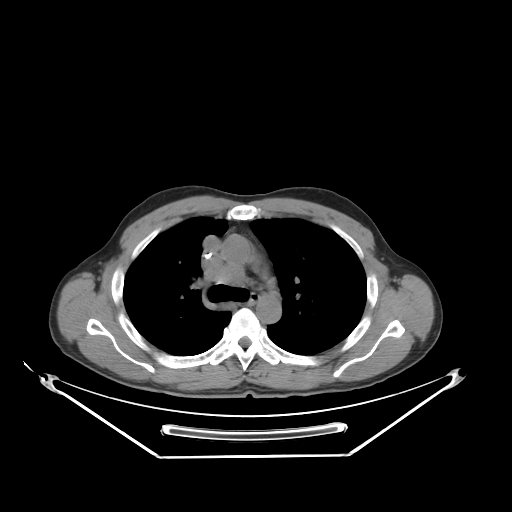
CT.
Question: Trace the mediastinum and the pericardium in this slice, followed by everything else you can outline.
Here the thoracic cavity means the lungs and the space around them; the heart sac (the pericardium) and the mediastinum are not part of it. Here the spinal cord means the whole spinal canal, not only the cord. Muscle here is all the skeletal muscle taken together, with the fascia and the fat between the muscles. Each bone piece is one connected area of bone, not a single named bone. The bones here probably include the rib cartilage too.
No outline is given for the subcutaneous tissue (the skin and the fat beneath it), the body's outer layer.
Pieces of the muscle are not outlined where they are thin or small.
Answer: Outlined structures:
mediastinum: [[227,220],[253,220],[249,226],[265,248],[273,264],[282,297],[282,314],[278,321],[269,324],[266,328],[261,324],[255,313],[248,307],[241,307],[232,314],[230,311],[210,310],[202,303],[203,272],[200,265],[202,242],[208,234],[222,235],[228,228]] with a hole at [[231,232],[237,232],[244,237],[247,238],[247,239],[252,244],[252,246],[254,250],[253,252],[253,256],[252,257],[252,259],[247,264],[245,264],[238,268],[227,265],[224,262],[224,260],[220,252],[220,249],[221,248],[223,240]]
pericardium: [[231,232],[237,232],[244,237],[247,238],[247,239],[252,244],[252,246],[254,250],[253,252],[253,256],[252,257],[252,259],[247,264],[245,264],[238,268],[227,265],[224,262],[224,260],[220,252],[220,249],[221,248],[223,240]]
torso: [[188,184],[237,194],[308,185],[349,198],[370,216],[391,248],[422,268],[433,282],[443,309],[436,343],[419,362],[383,382],[346,392],[287,398],[177,397],[119,384],[72,360],[53,342],[48,328],[49,305],[58,282],[108,240],[130,209],[157,191]]
spinal cord: [[243,337],[247,337],[250,340],[250,344],[247,347],[246,347],[245,348],[244,348],[242,346],[241,346],[239,344],[239,343],[238,342],[239,341],[239,340],[241,338],[242,338]]
thoracic cavity 1: [[271,217],[299,218],[329,228],[343,239],[354,251],[365,272],[366,301],[361,318],[353,329],[341,341],[316,354],[298,354],[288,351],[276,344],[268,335],[267,327],[278,322],[282,317],[283,297],[274,264],[266,248],[254,233],[250,224],[256,219]]
thoracic cavity 2: [[197,216],[212,216],[226,220],[227,228],[222,234],[208,233],[203,237],[199,265],[202,272],[202,305],[210,311],[230,312],[231,316],[222,330],[221,337],[206,350],[187,355],[170,354],[149,342],[129,318],[123,300],[125,274],[131,263],[161,232]]
muscle 1: [[196,195],[212,195],[240,202],[271,197],[296,198],[333,208],[358,221],[371,231],[375,243],[375,253],[382,263],[398,274],[409,273],[418,276],[430,288],[434,302],[434,319],[427,337],[400,362],[384,372],[363,380],[336,381],[308,389],[277,389],[243,381],[227,388],[181,390],[124,378],[89,361],[67,342],[58,328],[56,312],[63,286],[78,273],[84,271],[97,273],[115,255],[124,230],[134,221],[165,204]]; inner edges: [[244,203],[272,217],[299,218],[326,228],[334,224],[357,242],[365,274],[375,274],[378,288],[374,307],[366,303],[362,313],[371,317],[367,330],[345,351],[340,351],[340,341],[317,353],[322,362],[316,366],[281,361],[273,365],[257,354],[245,371],[234,354],[216,365],[160,364],[118,321],[120,311],[128,314],[111,294],[115,269],[119,266],[125,273],[136,245],[156,228],[164,231],[197,216],[225,219],[227,210]], then [[394,319],[397,319],[405,329],[404,332],[400,337],[395,337],[394,336],[384,337],[380,341],[372,354],[367,358],[350,364],[337,377],[334,377],[332,375],[335,370],[348,360],[356,357],[360,357],[366,354],[373,346],[387,325]], then [[90,318],[97,319],[110,332],[114,337],[117,345],[125,353],[138,361],[150,364],[155,369],[155,371],[153,373],[150,372],[143,366],[136,364],[124,357],[116,350],[111,339],[108,336],[102,334],[92,335],[88,333],[86,329],[86,325],[87,321]]
muscle 2: [[148,342],[149,343],[150,343],[152,345],[153,345],[156,348],[157,348],[158,349],[159,349],[160,350],[161,350],[162,351],[161,351],[160,352],[159,352],[158,351],[152,351],[152,349],[151,348],[151,347],[149,345],[149,344],[148,343]]
bones 1: [[244,307],[254,313],[268,337],[282,349],[298,355],[320,356],[322,362],[316,366],[281,361],[273,365],[256,354],[244,371],[233,354],[216,365],[206,363],[170,368],[133,342],[117,318],[122,311],[152,352],[187,356],[202,353],[217,343],[232,315]] with a hole at [[243,337],[247,337],[250,340],[250,344],[247,347],[246,347],[245,348],[244,348],[242,346],[241,346],[239,344],[239,343],[238,342],[239,341],[239,340],[241,338],[242,338]]
bones 2: [[394,319],[397,319],[405,329],[404,332],[400,337],[395,337],[394,336],[384,337],[380,341],[372,354],[367,358],[350,364],[337,377],[334,377],[332,375],[335,370],[348,360],[356,357],[360,357],[366,354],[373,346],[387,325]]
bones 3: [[90,318],[97,319],[110,332],[114,337],[117,345],[125,353],[138,361],[150,364],[155,369],[155,371],[153,373],[150,372],[143,366],[136,364],[124,357],[116,350],[111,339],[108,336],[102,334],[92,335],[88,333],[86,329],[86,325],[87,321]]
bones 4: [[244,203],[246,204],[249,204],[250,205],[253,205],[256,207],[259,207],[267,213],[270,214],[271,216],[270,217],[261,217],[260,218],[257,218],[256,217],[253,219],[226,219],[225,217],[225,214],[227,210],[236,205],[239,205],[240,204],[243,204]]
bones 5: [[368,314],[369,314],[371,317],[371,321],[370,322],[370,324],[367,330],[364,333],[364,334],[352,346],[351,346],[345,351],[341,352],[340,351],[340,348],[342,345],[342,341],[354,329],[354,328],[358,324],[362,317],[364,315],[367,315]]
bones 6: [[119,266],[124,270],[124,272],[125,273],[124,274],[124,279],[123,280],[123,293],[122,294],[122,300],[123,301],[123,303],[120,303],[118,305],[116,305],[114,303],[114,301],[111,294],[111,280],[112,279],[112,276],[115,269]]
bones 7: [[368,272],[373,272],[375,274],[376,276],[376,279],[377,280],[377,287],[378,288],[378,293],[377,294],[377,300],[373,308],[370,308],[370,306],[367,303],[366,303],[367,301],[367,278],[366,277],[366,275]]
bones 8: [[329,223],[331,224],[334,224],[336,226],[340,228],[343,231],[344,231],[350,236],[351,236],[357,242],[363,252],[363,259],[362,260],[361,260],[358,257],[355,251],[349,245],[349,244],[343,238],[342,238],[337,233],[336,233],[328,226],[328,224]]
bones 9: [[158,227],[161,227],[162,228],[162,230],[139,253],[139,254],[133,260],[132,260],[131,259],[131,254],[132,253],[132,252],[133,251],[134,248],[136,246],[136,245],[142,239],[143,239],[148,234],[149,234],[153,230],[154,230],[156,228],[157,228]]